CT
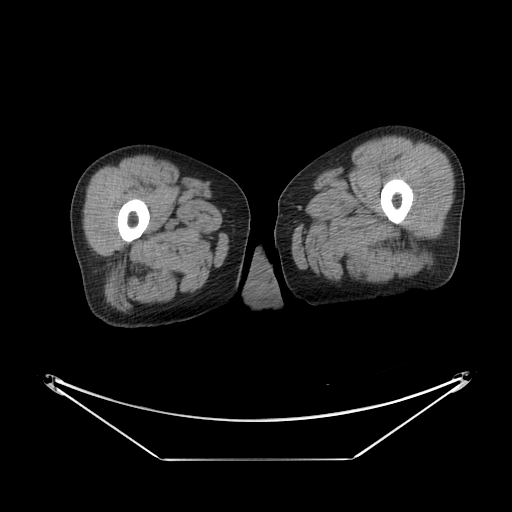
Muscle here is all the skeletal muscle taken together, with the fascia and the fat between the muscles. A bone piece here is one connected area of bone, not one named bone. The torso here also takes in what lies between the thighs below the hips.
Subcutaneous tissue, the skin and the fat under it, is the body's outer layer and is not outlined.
{"muscle":[{"outer":[[392,134],[436,146],[445,153],[452,166],[455,181],[454,199],[446,216],[442,235],[437,240],[433,265],[430,269],[410,277],[375,284],[332,283],[298,269],[291,254],[292,234],[304,213],[310,187],[317,176],[343,164],[352,149],[361,143]],"hole":[[393,178],[400,178],[404,180],[411,187],[412,191],[413,192],[413,200],[412,201],[411,207],[409,211],[407,213],[406,216],[404,218],[403,221],[399,224],[396,224],[389,220],[385,215],[380,205],[380,193],[381,192],[382,187],[383,185],[387,181]]},{"outer":[[137,154],[155,154],[169,160],[181,172],[202,180],[210,187],[221,211],[222,230],[228,236],[229,249],[224,263],[192,295],[175,301],[139,307],[127,314],[116,311],[104,301],[104,275],[100,261],[86,242],[82,227],[82,209],[91,176],[107,164]],"hole":[[133,198],[138,198],[142,200],[146,204],[149,211],[149,222],[147,225],[147,227],[145,229],[143,233],[139,237],[132,240],[130,242],[127,242],[122,239],[119,234],[118,228],[117,227],[117,215],[118,214],[118,211],[121,206],[125,202]]}],"right_leg":[[[136,143],[157,144],[188,154],[227,174],[235,180],[243,190],[251,213],[250,234],[238,292],[229,304],[189,320],[166,325],[139,328],[110,326],[98,319],[90,311],[85,299],[81,273],[71,239],[69,213],[73,191],[82,172],[95,159],[118,147]]],"torso":[[[259,242],[263,243],[266,254],[272,262],[274,274],[279,284],[284,303],[284,307],[282,310],[278,311],[263,310],[260,312],[251,312],[243,303],[241,297],[238,293],[240,288],[243,271],[243,274],[244,275],[246,274],[253,254],[253,251],[256,245]]],"left_leg":[[[386,124],[406,124],[426,130],[448,144],[460,160],[464,173],[465,199],[461,218],[459,256],[451,278],[435,290],[419,290],[412,294],[401,294],[367,301],[313,306],[295,298],[285,284],[273,238],[277,201],[281,192],[303,167],[325,151],[361,131]]],"bones":[[[393,178],[400,178],[404,180],[411,187],[412,191],[413,192],[413,200],[412,201],[411,207],[409,211],[407,213],[406,216],[404,218],[403,221],[399,224],[396,224],[389,220],[385,215],[380,205],[380,193],[381,192],[382,187],[383,185],[387,181]],[[133,198],[138,198],[142,200],[146,204],[149,211],[149,222],[147,225],[147,227],[145,229],[143,233],[139,237],[132,240],[130,242],[127,242],[122,239],[119,234],[118,228],[117,227],[117,215],[118,214],[118,211],[121,206],[125,202]]]}